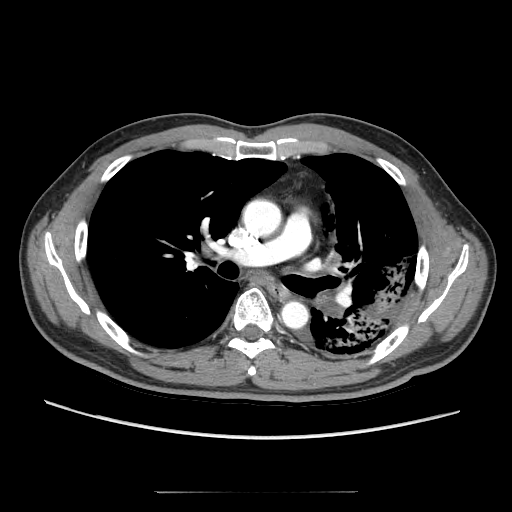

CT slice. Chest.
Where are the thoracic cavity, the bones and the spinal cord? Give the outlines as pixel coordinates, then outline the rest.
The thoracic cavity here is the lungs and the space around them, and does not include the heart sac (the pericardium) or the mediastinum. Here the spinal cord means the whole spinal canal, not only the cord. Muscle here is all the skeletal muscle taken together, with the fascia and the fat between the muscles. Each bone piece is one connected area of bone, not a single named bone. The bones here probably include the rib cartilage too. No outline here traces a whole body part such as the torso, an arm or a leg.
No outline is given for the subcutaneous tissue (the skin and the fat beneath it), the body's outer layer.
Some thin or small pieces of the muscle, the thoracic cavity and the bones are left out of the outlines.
{"thoracic_cavity":[[[168,148],[209,152],[228,160],[259,158],[281,161],[286,165],[277,179],[244,202],[235,223],[221,240],[220,255],[239,269],[237,295],[221,327],[196,344],[177,348],[155,347],[131,337],[109,315],[96,289],[87,259],[89,220],[105,184],[131,160]],[[334,152],[364,158],[394,180],[410,210],[418,242],[411,297],[396,327],[371,349],[347,358],[320,355],[286,337],[310,331],[314,304],[281,281],[282,276],[297,274],[317,280],[328,273],[332,244],[326,237],[323,223],[320,196],[324,180],[301,159]]],"bones":[{"outer":[[251,287],[257,287],[263,292],[272,313],[277,316],[279,320],[279,325],[285,331],[281,351],[278,348],[267,348],[259,352],[252,359],[250,359],[244,353],[236,348],[228,347],[225,343],[219,343],[219,339],[223,333],[222,326],[237,296],[246,289]],"hole":[[249,324],[252,324],[253,325],[255,325],[257,327],[258,327],[261,330],[261,336],[260,336],[256,340],[254,340],[253,341],[250,341],[249,340],[247,340],[245,338],[244,338],[242,335],[242,331],[243,330],[243,329],[247,325],[248,325]]},[[217,136],[227,136],[235,140],[250,142],[275,141],[280,138],[294,137],[302,141],[321,141],[336,151],[327,154],[301,153],[298,157],[291,155],[281,160],[259,157],[228,159],[214,155],[209,151],[180,150],[177,148],[181,142],[187,139],[210,139]],[[405,322],[407,322],[409,324],[408,332],[403,340],[391,352],[368,366],[361,368],[358,367],[358,365],[360,363],[359,362],[365,360],[369,356],[367,354],[366,355],[361,355],[359,354],[360,353],[364,351],[371,350],[374,348],[378,343],[392,331]],[[47,231],[50,232],[51,234],[55,250],[61,259],[62,265],[72,286],[76,292],[89,306],[90,309],[89,314],[86,314],[83,312],[80,307],[71,298],[67,291],[61,272],[57,267],[49,263],[45,252],[45,244],[44,243],[44,235],[45,232]],[[97,308],[105,311],[131,338],[133,341],[133,342],[132,341],[131,342],[131,344],[136,349],[138,349],[150,355],[150,356],[148,357],[143,357],[142,356],[134,354],[128,350],[126,350],[123,347],[119,345],[104,330],[99,323],[95,314],[95,310]],[[464,243],[468,243],[469,245],[469,248],[468,249],[468,261],[465,270],[453,281],[446,295],[440,304],[428,316],[426,320],[422,322],[417,322],[418,316],[424,309],[427,307],[435,298],[439,296],[444,290],[447,284],[447,277],[454,268],[458,260]],[[421,243],[424,243],[426,245],[426,248],[429,256],[429,268],[428,269],[427,279],[425,283],[425,286],[423,290],[420,293],[419,293],[419,290],[418,288],[414,284],[414,277],[415,276],[415,272],[416,271],[417,253],[418,252],[419,245]],[[82,218],[85,218],[86,221],[88,223],[88,225],[87,226],[87,246],[86,247],[86,258],[85,259],[83,259],[79,263],[77,262],[76,260],[76,258],[75,257],[75,250],[74,249],[74,242],[75,241],[75,230],[76,229],[76,226],[79,220]],[[125,154],[131,154],[133,156],[133,158],[132,159],[131,159],[126,164],[125,164],[112,177],[111,177],[105,183],[101,183],[100,182],[100,178],[103,174],[104,171],[110,164],[110,163],[111,162],[112,162],[116,158],[117,158],[122,155],[124,155]],[[377,157],[381,157],[386,160],[388,160],[390,162],[394,164],[399,169],[399,170],[403,175],[405,179],[405,181],[406,182],[406,185],[405,186],[400,186],[395,181],[395,180],[385,170],[384,170],[380,166],[379,166],[377,164],[375,160],[375,159]]],"spinal_cord":[[[249,324],[252,324],[253,325],[255,325],[257,327],[258,327],[261,330],[261,336],[260,336],[256,340],[254,340],[253,341],[250,341],[249,340],[247,340],[245,338],[244,338],[242,335],[242,331],[243,330],[243,329],[247,325],[248,325]]],"muscle":[{"outer":[[299,123],[315,123],[339,128],[369,141],[389,152],[411,167],[418,174],[419,182],[421,186],[425,190],[427,195],[431,199],[436,208],[441,212],[441,215],[449,223],[454,226],[458,225],[463,226],[470,232],[473,233],[482,243],[485,248],[488,258],[488,276],[485,283],[484,290],[475,313],[465,327],[455,336],[448,341],[423,347],[406,356],[400,357],[393,362],[394,363],[393,365],[388,365],[387,370],[381,374],[363,382],[347,385],[330,386],[312,390],[282,390],[281,389],[276,390],[262,388],[252,383],[249,379],[244,383],[228,386],[204,386],[186,383],[167,382],[157,379],[143,374],[132,368],[121,357],[121,355],[118,352],[116,352],[112,349],[106,348],[86,336],[80,336],[66,331],[63,328],[55,325],[48,319],[42,311],[35,297],[29,276],[26,261],[26,249],[28,237],[32,228],[48,210],[55,212],[58,211],[62,207],[68,198],[68,195],[88,175],[90,166],[97,158],[112,151],[120,145],[138,137],[189,124],[216,125],[224,128],[239,131],[248,137],[252,138],[271,128]],"holes":[[[217,136],[321,141],[399,169],[429,268],[423,290],[411,287],[397,323],[407,322],[409,329],[391,352],[360,368],[367,354],[326,357],[284,335],[281,351],[267,348],[250,359],[219,343],[221,327],[177,348],[132,337],[131,344],[150,355],[143,357],[104,330],[95,310],[107,310],[88,260],[77,262],[74,249],[76,226],[82,218],[89,222],[105,185],[101,176],[122,155],[135,159],[176,149],[187,139]],[[47,231],[50,232],[51,234],[55,250],[61,259],[62,265],[72,286],[76,292],[89,306],[90,309],[89,314],[86,314],[83,312],[80,307],[71,298],[67,291],[61,272],[57,267],[49,263],[45,252],[45,244],[44,243],[44,235],[45,232]],[[464,243],[468,243],[469,245],[469,248],[468,249],[468,261],[465,270],[453,281],[446,295],[440,304],[428,316],[426,320],[422,322],[417,322],[418,316],[424,309],[427,307],[435,298],[439,296],[444,290],[447,284],[447,277],[454,268],[458,260]],[[250,364],[253,364],[255,366],[255,373],[253,375],[249,375],[248,374],[248,373],[247,372],[247,369],[248,368],[248,367],[249,366],[249,365]]]}],"mediastinum":[[[301,154],[311,154],[300,162],[323,180],[319,199],[324,234],[331,246],[326,274],[317,279],[298,273],[280,277],[289,290],[313,304],[309,331],[292,336],[286,335],[259,287],[238,294],[239,266],[221,255],[222,240],[245,202],[286,171],[282,160]]]}